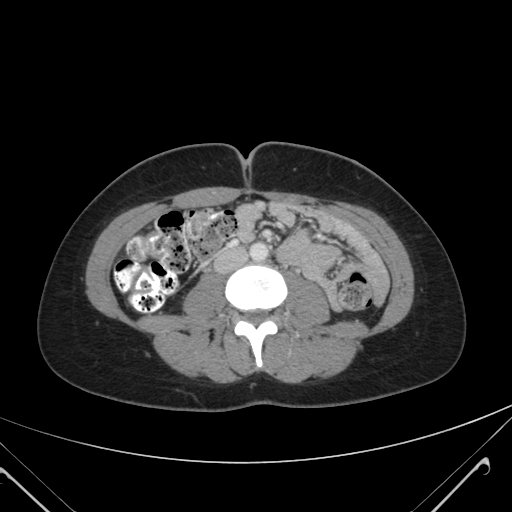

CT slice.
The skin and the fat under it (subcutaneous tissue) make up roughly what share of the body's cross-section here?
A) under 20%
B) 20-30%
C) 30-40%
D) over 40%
D) over 40%
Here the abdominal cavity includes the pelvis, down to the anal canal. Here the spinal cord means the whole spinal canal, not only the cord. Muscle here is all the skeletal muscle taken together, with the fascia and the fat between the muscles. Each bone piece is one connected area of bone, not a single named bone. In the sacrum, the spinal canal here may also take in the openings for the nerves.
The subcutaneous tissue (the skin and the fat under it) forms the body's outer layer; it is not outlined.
Outlines:
muscle: (217, 383) (237, 382) (259, 372) (285, 383) (332, 377) (349, 366) (365, 338) (401, 321) (413, 301) (414, 274) (404, 245) (386, 220) (369, 208) (343, 201) (227, 186) (191, 189) (114, 217) (87, 261) (85, 293) (91, 304) (107, 317) (145, 333) (163, 361) (186, 378) with a hole at (258, 367) (264, 338) (278, 330) (270, 313) (287, 295) (284, 275) (322, 290) (329, 323) (375, 326) (391, 275) (373, 246) (324, 211) (251, 193) (166, 213) (135, 233) (111, 270) (127, 315) (183, 315) (190, 289) (205, 273) (217, 273) (242, 314) (234, 332) (249, 340)
abdominal cavity: (368, 327) (375, 326) (386, 306) (389, 270) (354, 227) (308, 206) (245, 193) (225, 205) (178, 209) (135, 233) (112, 265) (118, 301) (135, 321) (154, 312) (183, 315) (183, 299) (205, 273) (226, 279) (252, 262) (317, 285) (330, 306) (329, 323) (359, 319)
torso: (203, 412) (258, 404) (319, 408) (365, 402) (432, 383) (455, 366) (467, 319) (452, 262) (422, 215) (373, 170) (342, 154) (288, 141) (261, 142) (247, 156) (225, 142) (187, 144) (123, 171) (70, 225) (49, 266) (36, 314) (36, 339) (47, 366) (92, 395) (146, 408)
bones: (258, 367) (262, 366) (261, 349) (264, 338) (278, 330) (278, 325) (271, 320) (270, 313) (285, 299) (287, 286) (283, 275) (276, 268) (250, 263) (237, 269) (228, 277) (225, 283) (225, 296) (242, 314) (242, 319) (234, 325) (233, 329) (236, 335) (243, 335) (249, 340); inner edge: (256, 326) (257, 325) (258, 325) (262, 321) (265, 320) (268, 317) (268, 316) (269, 315) (269, 312) (267, 310) (262, 310) (261, 309) (256, 309) (253, 311) (246, 311) (243, 313) (243, 318) (245, 320) (251, 322) (254, 325) (255, 325)
spinal cord: (256, 326) (257, 325) (258, 325) (262, 321) (265, 320) (268, 317) (268, 316) (269, 315) (269, 312) (267, 310) (262, 310) (261, 309) (256, 309) (253, 311) (246, 311) (243, 313) (243, 318) (245, 320) (251, 322) (254, 325) (255, 325)